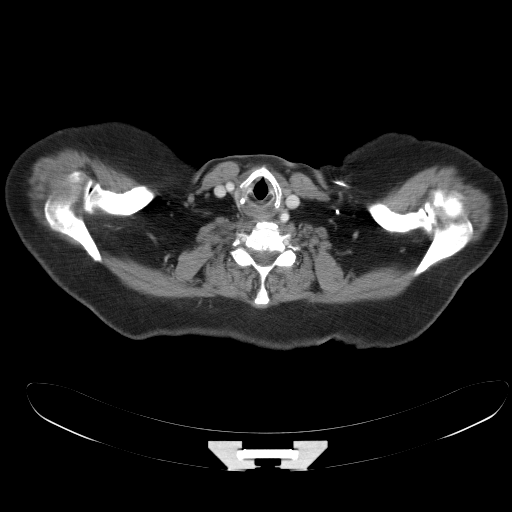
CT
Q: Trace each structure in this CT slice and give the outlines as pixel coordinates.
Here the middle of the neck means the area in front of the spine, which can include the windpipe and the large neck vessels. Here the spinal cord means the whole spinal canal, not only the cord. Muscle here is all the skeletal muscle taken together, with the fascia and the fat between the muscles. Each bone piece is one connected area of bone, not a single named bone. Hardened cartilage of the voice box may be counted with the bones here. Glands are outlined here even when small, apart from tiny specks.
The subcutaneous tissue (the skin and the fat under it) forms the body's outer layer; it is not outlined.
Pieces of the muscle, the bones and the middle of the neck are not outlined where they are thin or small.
A: Outlines (x, y in pixels):
bones 1: 437 189; 447 192; 457 190; 464 196; 466 214; 472 224; 473 233; 462 249; 437 261; 415 277; 412 273; 425 253; 432 235; 421 228; 408 232; 387 231; 371 217; 366 206; 378 201; 395 212; 415 211; 426 201; 431 201; 433 192
bones 2: 261 220; 273 221; 281 234; 291 233; 292 243; 300 246; 300 250; 295 252; 296 260; 290 267; 277 266; 268 274; 264 284; 269 302; 256 305; 253 301; 260 284; 259 276; 251 266; 238 265; 229 251; 234 248; 236 233; 248 234, around a hole outlined by 251 251; 256 251; 257 252; 263 252; 264 251; 268 251; 269 252; 276 252; 277 253; 277 254; 276 255; 274 260; 270 264; 269 264; 268 265; 261 265; 260 264; 257 263; 255 261; 254 258; 252 256; 252 255; 250 252
bones 3: 89 178; 92 179; 94 182; 99 183; 102 188; 108 189; 117 193; 125 192; 135 186; 145 185; 154 192; 155 197; 147 205; 130 215; 126 216; 125 215; 113 215; 104 213; 99 209; 97 209; 93 214; 89 214; 83 209; 83 187
bones 4: 66 197; 71 197; 74 200; 72 204; 72 208; 76 215; 81 216; 83 218; 87 229; 99 250; 102 258; 101 262; 94 261; 77 241; 66 234; 55 231; 50 228; 44 215; 45 201; 48 198; 51 200; 54 200; 57 198; 65 198
bones 5: 261 166; 265 166; 271 172; 282 189; 282 198; 279 207; 276 209; 274 206; 276 190; 274 189; 271 183; 264 177; 259 177; 254 179; 246 188; 247 199; 239 207; 237 203; 243 194; 243 192; 239 187; 240 183; 254 169
bones 6: 73 171; 80 171; 81 172; 81 177; 82 178; 82 181; 80 183; 70 183; 69 182; 68 182; 67 181; 67 176; 68 175; 68 174; 69 174; 70 173; 71 173
head and neck: 233 154; 271 154; 288 161; 307 164; 314 167; 326 183; 329 195; 337 251; 333 275; 322 306; 319 310; 296 326; 263 337; 255 337; 236 333; 229 329; 196 292; 186 265; 184 231; 187 197; 190 186; 196 176; 199 166; 213 158
right arm: 67 126; 70 126; 69 127; 67 156; 65 160; 65 164; 62 169; 62 172; 57 180; 56 184; 49 194; 36 207; 24 216; 16 220; 11 221; 6 211; 5 203; 4 202; 4 183; 7 173; 14 160; 24 149; 38 139; 55 130
left arm: 441 141; 453 144; 463 149; 478 159; 484 165; 492 169; 502 180; 508 201; 509 213; 508 214; 508 221; 503 237; 498 244; 487 238; 473 227; 463 222; 449 209; 448 206; 444 201; 442 193; 440 190; 440 178; 439 177; 440 142
torso: 105 120; 146 129; 198 166; 186 197; 185 265; 195 292; 236 334; 273 335; 322 308; 338 247; 316 167; 339 165; 383 132; 440 140; 443 201; 498 245; 421 335; 392 348; 130 339; 60 288; 11 222; 57 184; 70 127
thyroid glands: 238 186; 238 187; 239 188; 239 189; 240 190; 239 191; 239 198; 238 199; 238 200; 237 201; 237 202; 236 203; 236 202; 235 201; 235 199; 234 198; 234 194; 235 193; 235 190; 236 189; 236 188; 237 188; 238 187
muscle: 63 147; 72 147; 107 160; 143 182; 172 179; 183 184; 220 162; 234 160; 241 164; 268 163; 281 170; 309 175; 321 170; 330 179; 345 180; 376 195; 425 167; 455 164; 491 195; 493 217; 481 239; 425 272; 402 294; 389 301; 359 305; 294 301; 258 309; 223 297; 204 299; 200 303; 193 299; 153 299; 124 287; 98 269; 80 249; 50 234; 32 216; 25 194; 30 167; 38 157, around holes outlined by 261 166; 283 194; 296 193; 300 199; 292 218; 277 225; 281 234; 292 234; 300 250; 290 267; 277 266; 268 274; 269 302; 256 305; 257 272; 238 265; 229 254; 236 233; 248 234; 256 222; 219 199; 213 188; 230 181; 237 188 and by 437 189; 447 192; 457 190; 464 196; 466 214; 472 224; 473 233; 462 249; 437 261; 415 277; 412 273; 425 253; 432 235; 421 228; 408 232; 387 231; 371 217; 366 206; 378 201; 395 212; 415 211; 426 201; 431 201; 433 192 and by 89 178; 92 179; 94 182; 99 183; 102 188; 108 189; 117 193; 125 192; 135 186; 145 185; 154 192; 155 197; 147 205; 130 215; 126 216; 125 215; 113 215; 104 213; 99 209; 97 209; 93 214; 89 214; 83 209; 83 187 and by 66 197; 71 197; 74 200; 72 204; 72 208; 76 215; 81 216; 83 218; 87 229; 99 250; 102 258; 101 262; 94 261; 77 241; 66 234; 55 231; 50 228; 44 215; 45 201; 48 198; 51 200; 54 200; 57 198; 65 198 and by 73 171; 80 171; 81 172; 81 177; 82 178; 82 181; 80 183; 70 183; 69 182; 68 182; 67 181; 67 176; 68 175; 68 174; 69 174; 70 173; 71 173
middle of the neck: 259 178; 264 178; 275 190; 273 206; 276 210; 281 205; 283 194; 296 193; 300 199; 294 215; 284 224; 277 224; 273 220; 255 221; 250 219; 214 194; 213 188; 216 185; 234 182; 236 185; 233 198; 239 208; 248 199; 247 188
spinal cord: 251 251; 256 251; 257 252; 263 252; 264 251; 268 251; 269 252; 276 252; 277 253; 277 254; 276 255; 274 260; 270 264; 269 264; 268 265; 261 265; 260 264; 257 263; 255 261; 254 258; 252 256; 252 255; 250 252